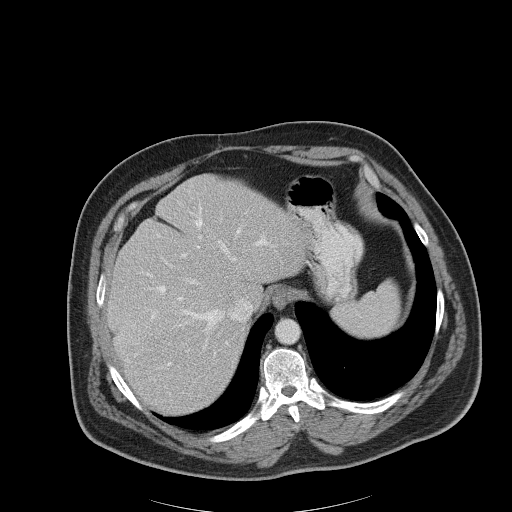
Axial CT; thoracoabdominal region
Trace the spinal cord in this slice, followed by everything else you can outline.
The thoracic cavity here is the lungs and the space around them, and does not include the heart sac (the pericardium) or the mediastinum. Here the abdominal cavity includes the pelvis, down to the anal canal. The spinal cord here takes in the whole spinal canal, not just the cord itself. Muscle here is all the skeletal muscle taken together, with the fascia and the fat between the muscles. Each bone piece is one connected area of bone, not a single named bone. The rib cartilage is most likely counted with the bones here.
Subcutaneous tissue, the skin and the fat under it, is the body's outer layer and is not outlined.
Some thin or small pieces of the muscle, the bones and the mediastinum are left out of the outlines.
The spinal cord is outlined by 286 386; 293 386; 295 388; 295 391; 293 393; 293 394; 292 395; 291 395; 290 396; 287 396; 286 395; 285 395; 284 394; 283 394; 282 393; 282 389; 284 387; 285 387. The muscle is outlined by 279 144; 280 145; 304 145; 305 146; 343 146; 344 147; 356 148; 371 156; 378 163; 393 174; 415 197; 420 204; 438 238; 438 242; 443 250; 447 270; 452 278; 452 281; 455 284; 456 289; 458 291; 465 314; 465 323; 466 324; 465 347; 463 350; 463 353; 455 367; 440 385; 419 406; 399 421; 379 433; 376 436; 364 442; 355 445; 347 446; 339 454; 325 453; 312 444; 307 439; 305 435; 302 435; 300 437; 298 436; 293 440; 290 446; 283 453; 279 459; 275 463; 267 467; 258 467; 254 463; 222 463; 203 459; 187 454; 183 454; 156 443; 144 435; 130 428; 128 428; 118 422; 100 415; 93 408; 90 403; 87 393; 87 377; 88 376; 89 364; 91 360; 92 339; 90 335; 89 326; 87 322; 86 299; 87 298; 88 269; 89 268; 91 247; 96 230; 101 220; 111 206; 131 187; 142 180; 144 180; 151 176; 160 174; 173 166; 175 166; 191 158; 208 153; 223 146; 234 146; 235 145; 267 146; 268 145; 278 145 with a hole at 230 150; 312 160; 358 155; 374 171; 380 191; 425 231; 435 285; 444 296; 442 321; 420 367; 397 389; 404 394; 387 409; 357 413; 299 401; 297 430; 287 406; 281 405; 269 419; 258 419; 228 440; 210 442; 210 436; 235 421; 208 431; 178 427; 145 407; 138 409; 113 381; 107 364; 114 362; 96 289; 100 274; 107 274; 119 235; 113 229; 118 215; 136 201; 127 222; 161 185. The bones appear in 7 outlined pieces: piece 1: 277 347; 297 351; 304 357; 309 375; 339 398; 370 402; 398 390; 405 392; 377 413; 328 405; 318 409; 299 401; 297 430; 287 406; 281 405; 269 419; 258 419; 228 440; 210 442; 210 436; 227 429; 251 409; 263 383; 262 361 with a hole at 286 386; 293 386; 295 388; 295 391; 293 393; 293 394; 292 395; 291 395; 290 396; 287 396; 286 395; 285 395; 284 394; 283 394; 282 393; 282 389; 284 387; 285 387; piece 2: 108 363; 113 365; 115 367; 115 368; 117 370; 123 380; 131 390; 137 400; 143 407; 143 410; 140 410; 138 409; 133 404; 132 404; 132 403; 119 390; 119 389; 113 381; 111 377; 111 375; 108 370; 108 368; 107 367; 107 364; piece 3: 350 155; 358 155; 362 157; 369 164; 369 165; 372 168; 379 180; 379 182; 381 186; 380 187; 380 190; 377 190; 370 184; 370 183; 367 180; 366 177; 364 175; 364 172; 362 169; 361 165; 357 162; 351 161; 348 158; 348 157; piece 4: 437 288; 441 288; 443 292; 443 295; 444 296; 444 311; 443 312; 442 321; 441 322; 441 324; 439 328; 439 331; 436 335; 436 336; 435 336; 434 335; 434 331; 435 330; 435 316; 436 315; 436 305; 437 304; piece 5: 133 201; 136 201; 137 202; 137 205; 136 207; 132 211; 126 214; 126 217; 125 218; 124 225; 122 229; 121 229; 119 231; 114 231; 113 229; 113 225; 118 215; 122 211; 123 211; 125 209; 125 208; 131 202; piece 6: 101 273; 104 273; 105 274; 105 291; 104 292; 104 298; 103 299; 103 305; 101 307; 99 307; 98 306; 98 305; 97 304; 97 302; 96 301; 96 289; 97 288; 97 285; 98 284; 98 281; 99 280; 99 277; 100 276; 100 274; piece 7: 415 221; 416 222; 417 222; 423 228; 423 229; 425 231; 425 232; 427 235; 427 237; 428 238; 428 246; 427 247; 426 247; 422 243; 422 242; 420 240; 417 233; 415 231; 415 230; 413 227; 413 225; 412 224; 412 223. The mediastinum is outlined by 276 291; 284 291; 287 294; 288 301; 294 304; 294 312; 303 333; 308 358; 314 375; 310 375; 305 357; 291 347; 277 346; 269 351; 264 356; 261 363; 260 362; 262 343; 265 334; 273 322; 273 316; 268 310; 271 305; 272 294. The abdominal cavity is outlined by 230 150; 359 164; 376 190; 377 208; 397 220; 411 252; 412 305; 397 330; 360 340; 313 303; 292 303; 284 290; 276 290; 267 312; 249 330; 231 381; 211 405; 181 416; 152 413; 114 365; 106 338; 102 307; 111 249; 147 195. The torso is outlined by 296 120; 341 122; 378 134; 405 158; 452 222; 471 265; 481 316; 481 377; 471 405; 447 430; 365 463; 264 480; 185 475; 133 461; 94 443; 75 415; 67 342; 68 276; 75 229; 86 199; 116 164; 156 142; 186 134; 244 131. The thoracic cavity appears in 2 outlined pieces: piece 1: 377 191; 392 198; 405 211; 426 248; 436 286; 434 330; 423 362; 408 381; 381 398; 357 401; 339 397; 319 382; 295 303; 313 304; 323 310; 342 332; 360 341; 379 340; 404 325; 416 292; 416 266; 398 220; 387 217; 378 208; piece 2: 266 313; 271 314; 272 322; 264 334; 260 347; 259 362; 262 383; 257 389; 257 395; 252 406; 241 418; 227 425; 208 431; 193 431; 169 424; 153 414; 156 413; 164 417; 181 417; 211 406; 224 393; 232 381; 240 363; 252 326.